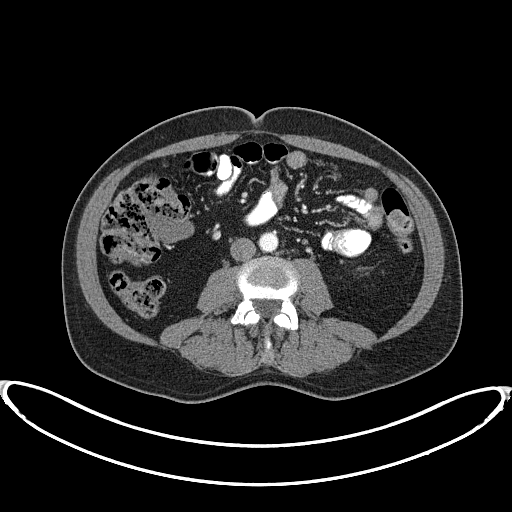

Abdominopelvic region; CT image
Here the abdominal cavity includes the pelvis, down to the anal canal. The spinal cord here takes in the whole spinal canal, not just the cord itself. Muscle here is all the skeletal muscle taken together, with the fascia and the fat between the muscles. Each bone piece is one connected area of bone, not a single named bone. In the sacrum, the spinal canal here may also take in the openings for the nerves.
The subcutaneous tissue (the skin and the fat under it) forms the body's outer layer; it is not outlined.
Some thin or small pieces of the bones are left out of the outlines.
The muscle is outlined by (295, 377) (329, 372) (346, 362) (355, 353) (407, 331) (420, 321) (432, 306) (443, 279) (444, 247) (440, 227) (433, 208) (419, 188) (406, 176) (347, 146) (313, 136) (282, 134) (264, 130) (221, 132) (184, 139) (158, 148) (120, 166) (104, 177) (94, 190) (84, 208) (75, 243) (76, 269) (79, 285) (86, 302) (97, 317) (112, 331) (129, 340) (178, 353) (197, 369) (206, 370) (213, 374) (238, 376) (247, 374) (261, 366) (269, 365) (286, 375) with holes at (154, 337) (168, 324) (199, 313) (195, 305) (208, 276) (225, 265) (240, 266) (236, 284) (243, 297) (230, 317) (232, 324) (261, 323) (267, 331) (272, 324) (297, 329) (291, 297) (299, 281) (290, 261) (297, 257) (318, 264) (334, 304) (327, 314) (382, 333) (409, 309) (422, 278) (421, 244) (404, 194) (374, 167) (312, 152) (268, 134) (246, 134) (222, 146) (159, 157) (137, 166) (120, 182) (100, 218) (97, 264) (103, 290) (114, 309) (132, 327) and at (266, 351) (269, 351) (269, 350) (270, 349) (270, 348) (271, 347) (271, 345) (272, 344) (271, 343) (271, 341) (270, 340) (270, 338) (269, 337) (269, 336) (268, 335) (267, 335) (265, 337) (265, 339) (264, 340) (264, 346) (265, 347) (265, 350). The bones are outlined by (267, 331) (272, 324) (292, 330) (297, 329) (298, 326) (298, 316) (291, 298) (298, 289) (298, 274) (290, 261) (276, 256) (262, 256) (254, 258) (240, 266) (236, 274) (236, 284) (243, 297) (238, 303) (234, 313) (230, 317) (230, 322) (232, 324) (248, 325) (261, 323); inner edge: (262, 318) (270, 318) (272, 317) (275, 314) (278, 313) (279, 311) (279, 309) (280, 308) (280, 303) (281, 302) (279, 300) (266, 300) (265, 299) (263, 300) (253, 300) (254, 302) (253, 305) (255, 307) (255, 309) (256, 311) (258, 312) (261, 315) (261, 317). The abdominal cavity is outlined by (154, 337) (168, 324) (199, 313) (195, 305) (212, 271) (262, 255) (316, 262) (334, 304) (326, 313) (382, 333) (409, 309) (422, 278) (421, 244) (404, 194) (374, 167) (268, 134) (246, 134) (222, 146) (137, 166) (120, 182) (100, 218) (97, 264) (114, 309) (132, 327). The spinal cord is outlined by (262, 318) (270, 318) (272, 317) (275, 314) (278, 313) (279, 311) (279, 309) (280, 308) (280, 303) (281, 302) (279, 300) (266, 300) (265, 299) (263, 300) (253, 300) (254, 302) (253, 305) (255, 307) (255, 309) (256, 311) (258, 312) (261, 315) (261, 317). The torso is outlined by (182, 403) (205, 402) (258, 385) (347, 399) (411, 379) (447, 357) (463, 315) (459, 250) (442, 201) (409, 160) (365, 129) (318, 110) (278, 106) (256, 116) (237, 106) (212, 106) (149, 127) (95, 170) (72, 206) (62, 243) (62, 298) (70, 343) (92, 372).